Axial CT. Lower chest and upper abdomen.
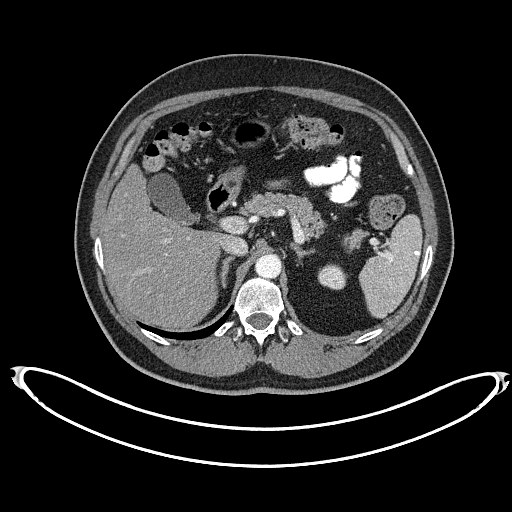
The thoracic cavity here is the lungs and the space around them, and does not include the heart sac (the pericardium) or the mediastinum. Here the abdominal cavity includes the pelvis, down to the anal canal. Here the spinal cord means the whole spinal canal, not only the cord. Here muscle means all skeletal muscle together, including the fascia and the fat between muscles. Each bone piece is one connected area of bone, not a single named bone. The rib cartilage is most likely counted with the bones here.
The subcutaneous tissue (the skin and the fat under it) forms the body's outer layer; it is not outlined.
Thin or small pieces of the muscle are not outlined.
The spinal cord is outlined by [[259,329],[265,327],[270,322],[270,321],[271,320],[271,318],[268,315],[267,315],[266,314],[264,314],[263,313],[259,313],[258,314],[254,314],[253,315],[248,317],[248,318],[247,319],[248,322],[254,327],[255,327],[256,328],[258,328]]. The thoracic cavity is outlined by [[176,339],[194,339],[195,338],[204,337],[212,333],[215,329],[227,319],[231,312],[232,306],[215,323],[210,326],[208,326],[206,328],[193,332],[166,332],[163,330],[147,326],[140,322],[137,322],[140,326],[142,326],[164,337],[175,338]]. The torso is outlined by [[222,395],[319,393],[375,378],[409,356],[437,305],[454,247],[443,178],[429,143],[402,100],[363,72],[321,60],[273,54],[222,54],[193,60],[138,90],[113,118],[90,156],[77,199],[74,252],[82,288],[101,329],[120,356],[141,372],[180,387]]. The abdominal cavity is outlined by [[333,337],[360,335],[391,316],[411,292],[423,257],[417,195],[381,127],[363,114],[271,90],[203,101],[154,121],[117,180],[104,215],[104,265],[121,305],[147,325],[193,331],[219,319],[233,304],[241,284],[259,276],[279,286],[286,310],[303,329]]. The muscle is outlined by [[302,378],[312,378],[313,377],[319,377],[324,375],[328,375],[343,370],[356,364],[372,353],[390,337],[400,331],[413,319],[419,309],[428,283],[430,271],[435,257],[436,246],[438,240],[438,230],[437,229],[437,220],[434,210],[434,201],[433,200],[432,192],[427,182],[424,171],[414,152],[413,147],[403,131],[399,127],[396,122],[387,114],[353,97],[344,94],[329,91],[321,88],[316,89],[315,88],[307,88],[306,87],[299,87],[298,86],[285,86],[284,85],[228,87],[227,88],[211,89],[210,90],[196,91],[195,92],[190,92],[185,94],[181,94],[168,98],[157,103],[136,116],[123,130],[115,144],[115,146],[107,163],[104,173],[97,186],[94,195],[94,204],[92,209],[92,216],[90,222],[90,236],[92,240],[92,255],[95,262],[95,271],[96,272],[98,286],[109,311],[115,319],[129,333],[140,341],[157,357],[165,363],[176,369],[190,373],[209,376],[210,377],[220,377],[221,376],[228,376],[241,372],[251,367],[256,363],[263,363],[269,365],[274,370],[280,373],[298,376]] with a hole at [[165,345],[169,344],[168,338],[194,339],[211,333],[215,336],[222,335],[235,322],[227,319],[231,312],[237,314],[240,322],[234,340],[244,333],[250,334],[259,345],[276,331],[283,342],[287,341],[284,335],[286,330],[277,325],[282,313],[287,328],[297,335],[305,329],[333,337],[356,336],[352,341],[361,343],[379,334],[383,329],[375,326],[404,303],[432,262],[431,245],[423,248],[422,217],[415,189],[409,179],[414,170],[398,138],[392,132],[391,144],[381,127],[363,114],[271,90],[211,99],[158,118],[142,135],[122,172],[133,143],[131,138],[113,172],[120,177],[106,206],[102,238],[97,236],[94,241],[94,257],[108,277],[114,296],[136,320],[140,330]]. The bones appear in 8 outlined pieces: piece 1: [[259,345],[276,331],[283,342],[287,341],[284,335],[286,330],[277,325],[282,313],[292,333],[300,335],[303,331],[287,316],[278,286],[269,280],[253,277],[242,284],[233,305],[232,312],[237,314],[240,322],[233,338],[237,340],[244,333],[250,334]] with a hole at [[259,329],[265,327],[270,322],[270,321],[271,320],[271,318],[268,315],[267,315],[266,314],[264,314],[263,313],[259,313],[258,314],[254,314],[253,315],[248,317],[248,318],[247,319],[248,322],[254,327],[255,327],[256,328],[258,328]]; piece 2: [[409,177],[412,176],[414,174],[414,170],[413,169],[413,167],[407,158],[407,156],[405,153],[405,151],[404,150],[403,145],[398,139],[398,138],[392,132],[391,133],[392,144],[393,145],[394,150],[396,153],[396,155],[397,156],[398,161],[403,171]]; piece 3: [[417,284],[418,284],[424,277],[424,276],[428,271],[431,265],[431,263],[432,262],[432,247],[430,244],[429,244],[427,246],[427,247],[424,251],[424,257],[423,258],[423,261],[421,265],[420,274],[417,280]]; piece 4: [[117,176],[119,175],[119,174],[121,172],[122,168],[125,164],[125,160],[129,152],[129,149],[131,145],[133,143],[133,138],[131,138],[127,142],[126,145],[124,147],[122,151],[122,153],[120,156],[120,158],[118,161],[118,164],[113,172],[113,174]]; piece 5: [[103,273],[105,273],[105,269],[103,265],[103,255],[102,254],[102,250],[101,249],[101,240],[100,239],[100,237],[99,236],[97,236],[95,238],[95,240],[94,241],[94,257],[96,260],[96,262],[97,264],[99,266],[99,267],[101,269]]; piece 6: [[354,343],[361,343],[362,342],[364,342],[365,341],[366,341],[367,340],[376,336],[382,331],[382,330],[383,329],[382,328],[382,327],[378,327],[377,328],[376,328],[373,330],[371,330],[360,336],[358,336],[355,339],[352,340],[352,341]]; piece 7: [[165,345],[168,345],[169,344],[169,342],[167,340],[167,339],[166,338],[164,338],[163,337],[162,337],[155,333],[153,333],[142,327],[140,327],[140,330],[146,336],[147,336],[149,338],[150,338],[159,343],[161,343],[162,344],[164,344]]; piece 8: [[215,336],[219,336],[220,335],[222,335],[230,327],[231,327],[234,324],[234,323],[235,322],[235,321],[233,319],[230,319],[229,320],[227,320],[225,322],[224,322],[216,330],[215,330],[213,332],[213,333],[212,334],[213,335],[214,335]].